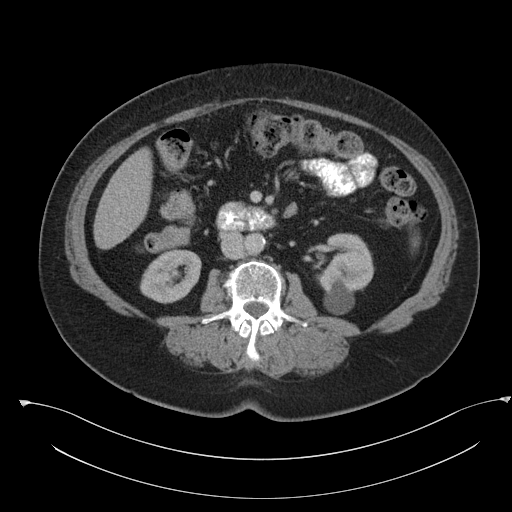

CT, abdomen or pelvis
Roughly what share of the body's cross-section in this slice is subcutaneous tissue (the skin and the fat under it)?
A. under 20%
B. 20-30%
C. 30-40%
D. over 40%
Answer: C. 30-40%
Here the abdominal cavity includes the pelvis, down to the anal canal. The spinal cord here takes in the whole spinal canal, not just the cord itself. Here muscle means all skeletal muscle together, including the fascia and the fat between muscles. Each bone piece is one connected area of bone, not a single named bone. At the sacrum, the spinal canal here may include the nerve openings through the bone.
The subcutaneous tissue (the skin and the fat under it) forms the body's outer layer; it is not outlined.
{"torso":[[[255,62],[333,70],[400,100],[447,147],[465,178],[476,212],[479,287],[459,344],[434,373],[414,387],[341,415],[287,422],[247,409],[204,417],[140,399],[100,377],[70,350],[40,291],[38,242],[46,201],[64,161],[86,132],[120,104],[166,80]]],"bones":[{"outer":[[252,259],[264,261],[277,268],[284,279],[281,308],[307,323],[304,327],[284,320],[278,330],[265,335],[259,333],[255,341],[259,355],[257,361],[247,357],[249,339],[233,330],[227,317],[201,322],[202,318],[230,307],[231,298],[222,284],[232,269]],"hole":[[250,302],[258,302],[259,303],[262,303],[263,304],[265,304],[268,308],[267,310],[264,313],[263,313],[261,315],[257,317],[255,317],[251,314],[250,314],[248,312],[247,312],[244,309],[244,305]]}],"abdominal_cavity":[[[252,101],[281,103],[369,129],[397,148],[431,189],[440,214],[431,263],[417,291],[368,326],[319,314],[296,272],[283,276],[261,259],[243,261],[227,276],[212,268],[199,314],[156,317],[116,293],[92,265],[86,210],[104,172],[132,145],[164,126]]],"muscle":[{"outer":[[249,97],[274,97],[275,98],[297,99],[319,104],[323,106],[327,106],[330,108],[336,109],[358,117],[379,127],[389,134],[392,134],[398,137],[425,156],[435,167],[447,187],[454,205],[455,213],[457,218],[457,223],[459,230],[459,243],[457,248],[451,280],[445,296],[434,306],[420,311],[415,316],[412,322],[408,326],[390,333],[369,334],[356,338],[351,343],[348,355],[338,366],[327,373],[317,377],[308,378],[305,380],[292,380],[291,381],[280,380],[277,378],[274,378],[271,376],[266,375],[260,371],[247,368],[237,371],[223,371],[222,370],[221,371],[195,371],[182,364],[178,363],[171,358],[168,350],[164,344],[163,335],[159,327],[151,324],[139,317],[126,316],[114,311],[103,302],[80,287],[71,277],[68,267],[67,258],[65,254],[65,249],[64,248],[65,216],[72,192],[77,182],[84,173],[87,167],[98,156],[103,153],[108,147],[128,136],[136,130],[152,122],[158,121],[182,110],[188,109],[194,106],[205,104],[208,102],[225,101],[229,99],[248,98]],"hole":[[252,101],[379,134],[423,177],[440,214],[419,288],[364,328],[319,314],[285,271],[280,306],[307,325],[284,320],[259,333],[257,361],[227,317],[201,322],[232,303],[224,271],[209,271],[199,314],[152,317],[100,277],[85,237],[96,184],[132,145]]}],"spinal_cord":[[[250,302],[258,302],[259,303],[262,303],[263,304],[265,304],[268,308],[267,310],[264,313],[263,313],[261,315],[257,317],[255,317],[251,314],[250,314],[248,312],[247,312],[244,309],[244,305]]]}